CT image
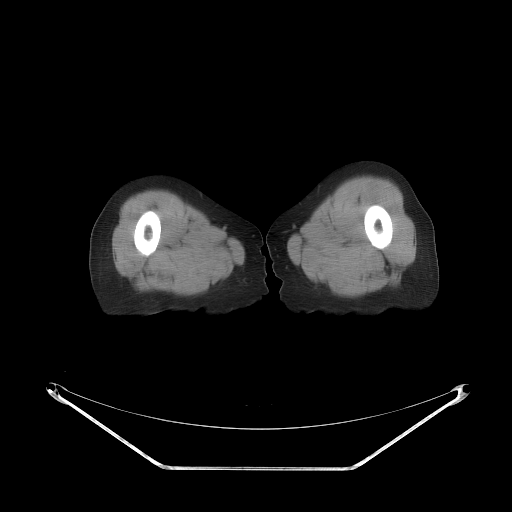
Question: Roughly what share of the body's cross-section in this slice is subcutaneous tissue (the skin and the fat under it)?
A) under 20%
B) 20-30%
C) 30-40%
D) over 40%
Answer: D) over 40%
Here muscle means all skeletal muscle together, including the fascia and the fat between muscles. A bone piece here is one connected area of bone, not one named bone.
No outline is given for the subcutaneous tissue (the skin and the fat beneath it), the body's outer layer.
{"left_leg":[[[360,159],[380,160],[402,172],[430,216],[434,226],[439,266],[437,298],[433,305],[421,315],[398,310],[388,310],[374,317],[362,318],[322,312],[292,314],[278,302],[281,281],[274,275],[264,242],[268,228],[280,213],[297,202],[326,174],[345,163]]],"bones":[[[373,204],[378,204],[382,206],[390,215],[391,221],[392,222],[392,228],[393,229],[393,231],[392,232],[391,241],[387,246],[382,249],[379,249],[372,245],[372,244],[368,239],[364,230],[363,219],[364,218],[364,214],[365,213],[365,211],[369,206]],[[147,210],[153,210],[155,211],[159,216],[160,223],[161,224],[161,232],[160,233],[159,242],[155,250],[148,256],[145,256],[144,255],[142,255],[135,247],[134,240],[133,239],[133,233],[134,232],[134,228],[138,218],[145,211]]],"right_leg":[[[152,173],[170,174],[190,182],[258,227],[263,237],[264,243],[261,250],[265,257],[268,286],[268,293],[261,301],[223,316],[198,311],[168,311],[135,318],[108,318],[100,311],[92,291],[88,268],[89,238],[93,224],[108,198],[119,186],[135,177]]],"muscle":[{"outer":[[362,174],[371,174],[376,176],[386,177],[392,180],[398,186],[409,207],[415,225],[417,253],[406,279],[399,288],[387,289],[367,294],[355,299],[333,298],[318,290],[310,284],[295,267],[287,253],[286,248],[287,240],[309,212],[333,189],[344,180]],"hole":[[373,204],[378,204],[382,206],[390,215],[391,221],[392,222],[392,228],[393,229],[393,231],[392,232],[391,241],[387,246],[382,249],[379,249],[372,245],[372,244],[368,239],[364,230],[363,219],[364,218],[364,214],[365,213],[365,211],[369,206]]},{"outer":[[152,188],[166,189],[176,193],[227,227],[235,237],[242,243],[244,247],[245,259],[240,271],[216,289],[203,295],[194,297],[168,297],[167,296],[142,295],[137,294],[126,285],[121,280],[111,265],[111,236],[114,217],[120,206],[130,195],[146,189]],"hole":[[147,210],[153,210],[155,211],[159,216],[160,223],[161,224],[161,232],[160,233],[159,242],[155,250],[148,256],[145,256],[144,255],[142,255],[135,247],[134,240],[133,239],[133,233],[134,232],[134,228],[138,218],[145,211]]}]}